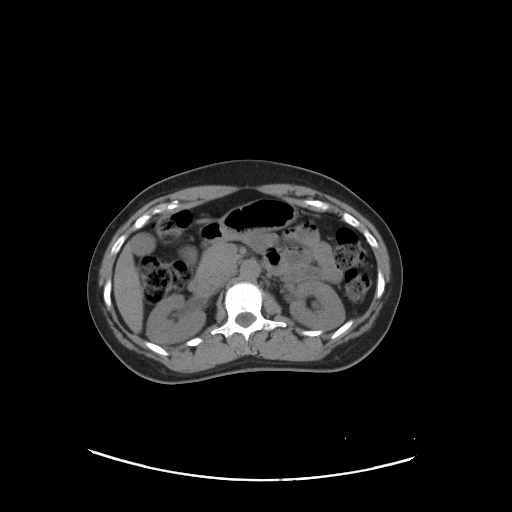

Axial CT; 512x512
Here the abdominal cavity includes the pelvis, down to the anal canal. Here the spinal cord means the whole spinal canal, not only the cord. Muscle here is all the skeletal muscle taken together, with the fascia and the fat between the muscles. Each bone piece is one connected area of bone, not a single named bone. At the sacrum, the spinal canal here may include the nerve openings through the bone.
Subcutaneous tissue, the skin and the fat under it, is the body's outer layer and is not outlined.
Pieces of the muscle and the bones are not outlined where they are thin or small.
{"abdominal_cavity":[[[245,189],[317,212],[332,213],[361,232],[372,248],[377,268],[375,292],[365,311],[333,331],[308,329],[291,319],[269,291],[241,280],[232,283],[218,296],[215,319],[198,336],[163,347],[130,332],[120,321],[111,296],[114,262],[128,236],[161,216]]],"spinal_cord":[[[241,313],[250,313],[251,314],[252,314],[254,316],[254,317],[255,318],[254,319],[254,320],[249,325],[248,325],[247,326],[242,326],[241,325],[240,325],[238,323],[237,323],[236,322],[236,318],[237,317],[237,316],[239,314],[240,314]]],"bones":[{"outer":[[241,281],[253,283],[263,290],[261,307],[263,316],[267,319],[283,321],[286,323],[285,327],[278,326],[268,331],[256,330],[250,334],[247,341],[238,332],[228,338],[221,333],[211,334],[212,329],[227,320],[227,312],[223,302],[227,288]],"hole":[[241,313],[250,313],[251,314],[252,314],[254,316],[254,317],[255,318],[254,319],[254,320],[249,325],[248,325],[247,326],[242,326],[241,325],[240,325],[238,323],[237,323],[236,322],[236,318],[237,317],[237,316],[239,314],[240,314]]},[[174,200],[177,200],[179,203],[182,205],[180,205],[178,207],[164,211],[161,213],[154,214],[143,226],[135,230],[132,230],[131,229],[131,227],[133,223],[138,217],[144,213],[147,212],[150,209],[160,203],[162,203],[163,202],[170,202]],[[303,199],[317,199],[318,200],[321,200],[324,202],[327,202],[328,203],[329,203],[331,205],[331,207],[328,210],[327,210],[326,211],[322,211],[321,210],[318,210],[312,206],[310,206],[309,205],[305,205],[304,204],[303,204],[301,201]],[[108,279],[111,279],[111,291],[110,292],[110,296],[111,297],[111,302],[112,303],[112,305],[111,306],[111,307],[109,309],[105,304],[105,303],[104,302],[104,300],[103,299],[103,289],[104,288],[104,285],[105,284],[105,283],[106,282],[106,281]],[[378,270],[380,270],[381,271],[381,272],[383,275],[383,278],[384,279],[384,282],[385,283],[385,285],[384,286],[384,290],[383,291],[383,293],[382,294],[382,295],[379,298],[378,298],[376,296],[376,286],[377,285],[377,273],[378,272]],[[145,340],[146,340],[147,341],[149,341],[152,343],[154,343],[155,344],[162,347],[166,351],[167,351],[169,354],[168,355],[166,355],[165,356],[164,355],[161,355],[160,354],[158,354],[156,352],[151,350],[149,348],[148,348],[144,344],[144,341]],[[343,212],[347,212],[349,214],[352,215],[356,219],[357,219],[359,221],[359,222],[360,223],[361,226],[359,228],[358,228],[357,227],[355,227],[354,226],[353,226],[352,225],[351,225],[350,224],[347,223],[345,221],[344,221],[342,219],[342,213]],[[350,319],[353,319],[353,322],[352,323],[352,324],[350,326],[350,327],[348,329],[347,329],[343,333],[342,333],[340,335],[339,335],[334,339],[332,339],[331,338],[331,335],[332,334],[332,333]],[[123,234],[126,235],[126,238],[125,239],[124,242],[122,244],[121,247],[119,249],[119,250],[117,252],[117,253],[114,255],[112,255],[110,253],[110,251],[111,250],[111,248],[112,247],[113,244],[116,241],[116,240],[121,235],[122,235]],[[363,229],[367,229],[371,233],[371,234],[375,238],[375,239],[376,240],[376,241],[377,242],[377,243],[378,244],[378,247],[377,248],[373,248],[368,243],[368,242],[367,241],[367,240],[366,239],[366,238],[364,236],[364,235],[362,233],[362,230]],[[302,330],[322,330],[323,331],[323,332],[321,334],[320,334],[319,335],[316,335],[315,336],[309,336],[308,335],[302,335],[301,334],[300,334],[300,332]]],"muscle":[{"outer":[[270,183],[288,183],[289,184],[303,185],[318,190],[323,193],[328,194],[345,202],[353,207],[368,219],[376,228],[380,234],[387,249],[387,252],[389,256],[391,278],[390,279],[389,294],[387,297],[386,302],[384,305],[383,309],[372,326],[367,331],[364,332],[362,334],[354,338],[352,338],[346,342],[337,345],[326,356],[319,360],[313,360],[312,361],[290,361],[289,360],[279,360],[278,359],[265,359],[262,357],[257,357],[253,355],[246,355],[225,363],[218,364],[214,367],[208,369],[205,369],[196,372],[192,372],[191,373],[181,373],[180,372],[177,372],[171,370],[162,363],[154,359],[147,357],[142,354],[137,353],[130,349],[128,349],[121,344],[114,335],[111,328],[109,326],[102,312],[100,306],[100,303],[99,302],[99,299],[98,298],[98,279],[99,278],[99,269],[101,265],[101,262],[105,250],[116,231],[133,213],[149,201],[160,196],[163,196],[175,192],[183,188],[187,188],[192,186],[198,186],[199,185],[235,185],[236,186],[242,186],[243,185],[262,185],[263,184],[269,184]],"hole":[[245,189],[317,212],[321,210],[301,201],[317,199],[329,203],[326,211],[340,218],[343,212],[352,215],[361,225],[358,229],[367,229],[378,244],[372,250],[385,283],[382,295],[378,298],[375,292],[365,311],[332,339],[332,331],[315,336],[300,334],[308,329],[291,319],[265,290],[263,316],[283,321],[286,326],[256,330],[246,341],[238,332],[228,338],[210,332],[227,320],[224,291],[216,301],[213,323],[198,336],[200,343],[164,346],[169,354],[158,354],[122,324],[113,305],[109,309],[104,302],[104,285],[112,278],[117,255],[110,253],[113,244],[123,234],[127,238],[134,231],[131,227],[135,220],[160,203],[177,200],[182,205],[154,214],[149,223]]}],"torso":[[[230,159],[278,161],[330,176],[368,203],[390,228],[397,242],[403,266],[401,296],[386,334],[358,363],[334,372],[254,371],[197,382],[164,384],[143,378],[128,369],[103,341],[88,309],[86,282],[91,256],[107,225],[136,194],[152,183],[188,169]]]}